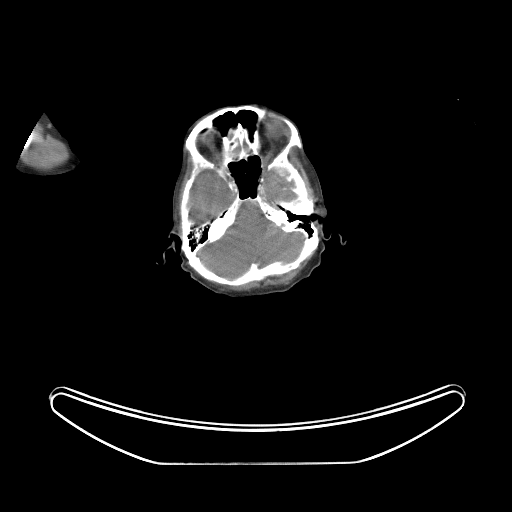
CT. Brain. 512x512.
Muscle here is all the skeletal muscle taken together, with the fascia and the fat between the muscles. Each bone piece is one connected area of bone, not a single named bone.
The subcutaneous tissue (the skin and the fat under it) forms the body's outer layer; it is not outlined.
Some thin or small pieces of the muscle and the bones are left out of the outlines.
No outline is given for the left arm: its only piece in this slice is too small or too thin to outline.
{"muscle":[[[38,120],[42,120],[49,125],[52,134],[66,144],[70,153],[69,159],[64,164],[48,171],[39,171],[29,167],[26,167],[22,164],[22,162],[19,158],[25,153],[30,147],[31,144],[37,139],[38,135],[38,131],[37,130],[38,125],[37,122]],[[315,251],[313,256],[306,266],[289,283],[280,285],[270,285],[266,287],[257,287],[248,290],[227,289],[220,285],[240,286],[253,281],[262,281],[265,278],[270,276],[279,276],[288,273],[290,271],[298,268],[300,266],[300,264],[304,260],[309,258]],[[294,147],[299,150],[299,155],[305,160],[307,165],[314,174],[315,182],[317,187],[317,195],[318,196],[318,201],[315,204],[316,205],[315,208],[314,199],[312,195],[310,194],[310,190],[308,188],[306,182],[302,177],[299,170],[289,159],[289,154]],[[186,152],[188,153],[191,160],[191,170],[189,177],[185,181],[181,192],[181,197],[179,202],[179,225],[180,226],[180,232],[178,233],[179,218],[177,211],[177,195],[178,194],[178,189],[180,186],[180,183],[182,180],[187,165],[187,154]]],"brain":[[[246,202],[256,204],[263,217],[282,231],[298,233],[302,238],[301,246],[295,257],[288,261],[276,259],[261,266],[257,262],[251,262],[243,272],[233,277],[221,275],[208,267],[198,254],[204,247],[219,240],[226,233],[236,222],[238,212],[242,204]],[[208,169],[209,170],[214,170],[216,173],[225,181],[227,187],[231,193],[233,194],[233,198],[225,209],[219,210],[213,217],[205,219],[202,221],[197,221],[195,219],[190,217],[190,212],[191,211],[191,207],[190,206],[191,192],[197,177],[201,172]],[[271,171],[274,171],[280,177],[283,177],[286,182],[292,184],[289,187],[289,190],[293,193],[294,195],[293,197],[289,199],[285,199],[280,197],[276,197],[270,200],[268,199],[266,195],[266,188],[265,187],[265,184],[266,183],[266,172],[267,173]]],"head":[{"outer":[[253,104],[280,112],[297,128],[327,209],[323,233],[337,231],[346,242],[342,245],[334,234],[324,244],[320,264],[287,291],[232,297],[192,279],[171,249],[166,251],[165,263],[157,263],[163,261],[163,251],[171,243],[172,197],[186,131],[210,110]],"holes":[[[255,156],[257,156],[260,159],[259,166],[261,170],[259,176],[257,178],[257,183],[255,186],[255,195],[254,196],[249,195],[245,197],[241,197],[239,187],[231,170],[229,168],[229,164],[230,163],[237,163],[242,160],[247,162],[250,158]],[[241,110],[251,110],[256,114],[255,127],[252,130],[251,134],[250,128],[248,126],[244,126],[239,121],[234,126],[229,127],[225,134],[223,134],[220,128],[217,125],[214,124],[213,122],[214,119],[224,114],[226,112],[230,111],[234,114],[236,114]],[[175,237],[177,237],[178,238],[179,238],[179,239],[180,240],[180,241],[181,242],[181,243],[180,244],[180,248],[179,249],[178,249],[176,247],[176,246],[175,245]]]}],"bones":[{"outer":[[248,105],[264,109],[267,113],[258,124],[259,151],[266,165],[286,145],[290,136],[288,125],[278,117],[288,119],[296,127],[302,148],[294,146],[288,154],[288,159],[298,170],[314,202],[314,212],[309,217],[304,215],[298,217],[315,222],[319,241],[311,255],[298,267],[288,272],[240,285],[220,284],[204,278],[191,267],[181,249],[180,202],[185,183],[192,170],[191,157],[183,146],[195,124],[204,116],[221,108]],"holes":[[[246,202],[256,204],[263,217],[282,231],[298,233],[302,238],[301,246],[295,257],[288,261],[276,259],[261,266],[257,262],[251,262],[243,272],[233,277],[221,275],[208,267],[198,254],[204,247],[219,240],[226,233],[236,222],[238,212],[242,204]],[[208,169],[209,170],[214,170],[216,173],[225,181],[227,187],[231,193],[233,194],[233,198],[225,209],[219,210],[213,217],[205,219],[202,221],[197,221],[195,219],[190,217],[190,212],[191,211],[191,207],[190,206],[191,192],[197,177],[201,172]],[[241,110],[251,110],[256,114],[255,127],[251,134],[250,128],[244,126],[239,121],[234,126],[228,128],[226,133],[220,137],[221,162],[217,166],[200,152],[197,147],[198,135],[204,129],[212,129],[214,126],[213,121],[217,117],[229,111],[236,114]],[[255,156],[257,156],[260,159],[259,166],[261,170],[259,176],[257,178],[257,183],[255,186],[255,195],[254,196],[249,195],[245,197],[241,197],[239,187],[231,170],[229,168],[229,164],[230,163],[237,163],[242,160],[247,162],[250,158]],[[271,171],[274,171],[280,177],[283,177],[286,182],[292,184],[289,187],[289,190],[293,193],[294,195],[293,197],[289,199],[285,199],[280,197],[276,197],[270,200],[268,199],[266,195],[266,188],[265,187],[265,184],[266,183],[266,172],[267,173]]]},[[36,124],[37,125],[37,128],[36,129],[37,131],[36,139],[34,140],[30,144],[29,147],[24,152],[24,153],[21,156],[20,156],[20,154],[22,151],[22,149],[24,146],[24,144],[26,142],[29,135],[31,133],[32,130],[34,128]]],"right_arm":[[[43,113],[46,113],[48,115],[59,131],[67,138],[71,149],[79,157],[81,161],[80,164],[75,169],[59,175],[55,175],[49,177],[38,177],[33,175],[28,175],[24,173],[21,173],[16,170],[16,165],[20,157],[20,154],[22,151],[24,144]]]}